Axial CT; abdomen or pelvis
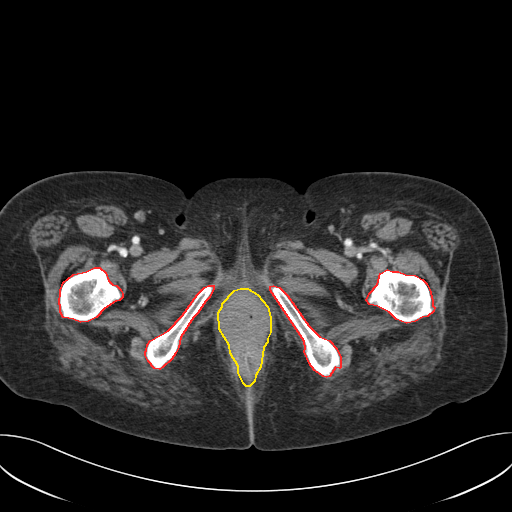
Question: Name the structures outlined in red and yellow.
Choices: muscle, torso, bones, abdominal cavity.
Answer: red: bones; yellow: abdominal cavity.
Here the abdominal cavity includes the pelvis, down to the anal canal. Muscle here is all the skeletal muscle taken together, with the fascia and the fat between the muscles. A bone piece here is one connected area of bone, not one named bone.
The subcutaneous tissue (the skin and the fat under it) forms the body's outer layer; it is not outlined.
Outlines (x, y in pixels):
bones 1: (387, 269) (392, 271) (398, 271) (405, 274) (415, 275) (422, 279) (426, 283) (429, 289) (432, 300) (432, 305) (434, 307) (433, 311) (427, 316) (422, 317) (415, 321) (406, 323) (396, 319) (389, 312) (377, 306) (369, 304) (366, 300) (369, 293) (377, 284) (380, 273)
bones 2: (94, 267) (99, 267) (105, 272) (108, 280) (112, 284) (116, 285) (120, 289) (122, 293) (122, 297) (119, 300) (115, 301) (104, 308) (96, 317) (88, 321) (80, 322) (73, 319) (63, 317) (60, 312) (60, 305) (59, 304) (60, 290) (63, 282) (73, 274) (86, 271)
bones 3: (273, 285) (279, 287) (287, 295) (308, 325) (319, 336) (329, 340) (336, 348) (340, 357) (340, 367) (339, 368) (335, 367) (329, 376) (326, 377) (323, 376) (314, 370) (309, 363) (304, 351) (305, 348) (304, 341) (270, 290) (270, 286)
bones 4: (208, 285) (213, 285) (213, 289) (208, 298) (205, 301) (197, 313) (193, 317) (180, 337) (178, 347) (175, 353) (171, 359) (162, 367) (159, 369) (154, 368) (148, 361) (145, 355) (145, 351) (146, 350) (147, 344) (150, 340) (168, 330) (182, 315) (197, 294) (204, 287)
abdominal cavity: (240, 288) (247, 288) (257, 294) (267, 306) (270, 317) (270, 332) (267, 338) (267, 342) (263, 347) (260, 367) (255, 375) (254, 381) (249, 386) (246, 386) (243, 383) (238, 372) (238, 366) (230, 353) (229, 345) (219, 329) (218, 312) (222, 306) (222, 303) (234, 290)
muscle: (391, 202) (423, 204) (441, 213) (453, 222) (460, 242) (449, 267) (441, 359) (423, 379) (384, 399) (342, 413) (295, 412) (304, 360) (281, 331) (262, 392) (242, 403) (208, 323) (181, 361) (205, 400) (198, 415) (156, 413) (54, 366) (43, 328) (44, 286) (28, 236) (33, 223) (53, 210) (76, 213) (87, 205) (116, 205) (139, 232) (163, 246) (172, 248) (182, 238) (204, 240) (225, 267) (247, 254) (260, 265) (277, 239) (312, 240) (348, 211); inner edges: (240, 288) (247, 288) (257, 294) (267, 306) (270, 317) (270, 332) (267, 338) (267, 342) (263, 347) (260, 367) (255, 375) (254, 381) (249, 386) (246, 386) (243, 383) (238, 372) (238, 366) (230, 353) (229, 345) (219, 329) (218, 312) (222, 306) (222, 303) (234, 290), then (387, 269) (392, 271) (398, 271) (405, 274) (415, 275) (422, 279) (426, 283) (429, 289) (432, 300) (432, 305) (434, 307) (433, 311) (427, 316) (422, 317) (415, 321) (406, 323) (396, 319) (389, 312) (377, 306) (369, 304) (366, 300) (369, 293) (377, 284) (380, 273), then (94, 267) (99, 267) (105, 272) (108, 280) (112, 284) (116, 285) (120, 289) (122, 293) (122, 297) (119, 300) (115, 301) (104, 308) (96, 317) (88, 321) (80, 322) (73, 319) (63, 317) (60, 312) (60, 305) (59, 304) (60, 290) (63, 282) (73, 274) (86, 271), then (273, 285) (279, 287) (287, 295) (308, 325) (319, 336) (329, 340) (336, 348) (340, 357) (340, 367) (339, 368) (335, 367) (329, 376) (326, 377) (323, 376) (314, 370) (309, 363) (304, 351) (305, 348) (304, 341) (270, 290) (270, 286), then (208, 285) (213, 285) (213, 289) (208, 298) (205, 301) (197, 313) (193, 317) (180, 337) (178, 347) (175, 353) (171, 359) (162, 367) (159, 369) (154, 368) (148, 361) (145, 355) (145, 351) (146, 350) (147, 344) (150, 340) (168, 330) (182, 315) (197, 294) (204, 287)
torso: (79, 170) (152, 175) (188, 196) (234, 176) (273, 177) (299, 191) (324, 176) (352, 171) (394, 171) (444, 182) (478, 206) (494, 235) (508, 322) (502, 370) (486, 392) (413, 422) (278, 451) (160, 442) (103, 426) (67, 406) (19, 396) (0, 380) (0, 209) (36, 180)